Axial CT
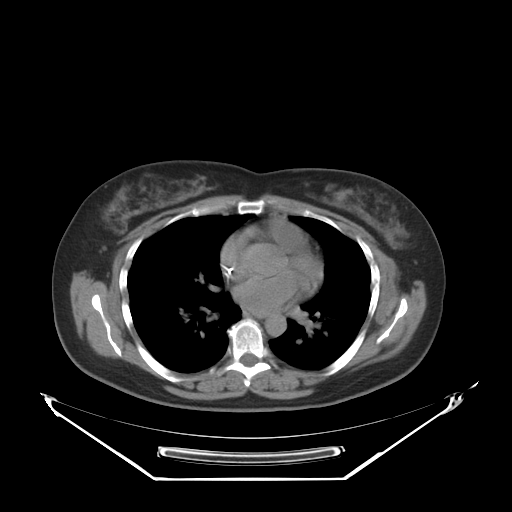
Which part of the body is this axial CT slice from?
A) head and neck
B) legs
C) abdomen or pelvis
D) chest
Answer: D) chest
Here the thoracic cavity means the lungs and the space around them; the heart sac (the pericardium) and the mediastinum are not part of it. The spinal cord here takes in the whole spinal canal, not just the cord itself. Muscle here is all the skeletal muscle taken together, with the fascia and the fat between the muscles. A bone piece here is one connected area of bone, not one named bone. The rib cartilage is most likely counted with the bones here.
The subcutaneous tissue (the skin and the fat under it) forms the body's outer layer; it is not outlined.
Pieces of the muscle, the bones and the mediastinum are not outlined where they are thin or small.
Outlined structures:
muscle: 266 193; 303 201; 357 223; 394 260; 403 291; 408 291; 416 279; 424 282; 427 301; 424 313; 410 341; 398 354; 332 378; 306 396; 272 399; 248 391; 237 397; 199 400; 167 391; 149 372; 120 359; 100 356; 77 338; 69 293; 73 271; 87 269; 96 280; 108 284; 118 249; 115 243; 142 222; 163 211; 207 197; 241 194; 247 199; 230 198; 177 213; 148 237; 136 238; 127 249; 124 261; 130 264; 120 267; 118 288; 122 293; 127 291; 128 301; 123 297; 120 309; 126 328; 130 332; 134 327; 142 342; 136 340; 134 343; 139 355; 153 371; 172 383; 189 379; 176 373; 189 374; 207 369; 208 374; 220 376; 233 370; 244 376; 242 382; 247 388; 255 375; 278 367; 275 357; 302 370; 324 368; 321 373; 324 377; 343 368; 360 348; 367 332; 361 327; 367 315; 370 318; 374 315; 378 304; 380 270; 372 250; 360 236; 351 238; 332 218; 309 208; 296 208; 295 214; 264 210; 267 204; 277 203; 275 199; 255 199; inner edges: 94 294; 98 294; 99 295; 102 311; 110 327; 110 335; 111 336; 111 338; 120 349; 121 351; 121 357; 120 357; 116 353; 113 347; 108 340; 106 328; 104 325; 104 323; 99 312; 92 306; 92 304; 91 303; 91 298, then 403 297; 405 298; 407 302; 407 310; 405 312; 405 313; 397 320; 394 326; 391 329; 389 334; 379 343; 376 343; 376 340; 377 338; 389 326; 389 325; 392 322; 394 318; 394 315; 399 306; 399 304; 400 303; 400 300; 401 298
thoracic cavity 1: 210 214; 252 214; 224 240; 219 250; 219 268; 223 289; 230 294; 232 300; 239 306; 241 318; 226 329; 229 343; 216 363; 195 372; 176 372; 162 364; 151 354; 144 346; 134 326; 127 287; 129 268; 137 249; 145 239; 180 219
thoracic cavity 2: 290 215; 319 220; 354 240; 360 247; 370 271; 367 313; 358 333; 338 357; 319 369; 292 366; 276 357; 268 346; 271 339; 278 338; 287 330; 287 321; 294 317; 294 311; 310 300; 320 290; 324 281; 322 246; 305 229; 289 220
mediastinum 1: 297 306; 299 307; 293 311; 292 314; 293 317; 289 317; 286 321; 287 322; 286 330; 278 337; 271 338; 267 342; 267 345; 264 341; 263 330; 260 324; 251 317; 242 317; 242 312; 240 308; 241 307; 252 312; 281 312; 290 310
mediastinum 2: 266 210; 281 212; 285 214; 291 214; 288 216; 286 214; 272 214; 271 213; 267 213; 263 217; 260 218; 258 220; 249 223; 246 225; 244 225; 241 228; 237 229; 247 220; 251 218; 253 216; 253 214; 257 215; 262 213
mediastinum 3: 312 236; 316 240; 317 240; 317 241; 319 243; 319 244; 321 246; 321 248; 322 249; 322 253; 323 254; 323 258; 323 256; 322 255; 322 253; 321 252; 321 251; 320 250; 320 247; 319 246; 319 245; 318 244; 318 243; 312 237
pericardium: 267 214; 286 215; 289 221; 305 230; 317 243; 323 259; 323 281; 318 291; 312 297; 303 301; 300 305; 281 311; 252 311; 240 306; 234 299; 232 294; 225 287; 220 268; 220 250; 223 243; 230 235; 244 226; 258 221
torso: 168 159; 222 161; 257 172; 290 167; 346 169; 379 178; 404 193; 430 223; 446 274; 440 324; 421 362; 397 381; 361 396; 322 407; 264 412; 162 405; 123 392; 80 370; 64 351; 53 320; 51 274; 58 243; 93 189; 128 168
spinal cord: 246 353; 248 353; 249 354; 252 354; 253 355; 254 355; 257 358; 257 359; 258 360; 253 365; 251 365; 250 366; 247 366; 246 365; 245 365; 243 363; 242 363; 240 361; 240 359; 241 358; 241 357; 244 354; 245 354
bones 1: 242 318; 251 318; 259 324; 262 330; 263 341; 277 363; 277 367; 272 366; 269 369; 255 374; 251 378; 249 386; 247 387; 243 382; 245 376; 239 371; 231 369; 220 375; 216 373; 208 373; 208 369; 221 359; 230 343; 227 329, around a hole outlined by 246 353; 248 353; 249 354; 252 354; 253 355; 254 355; 257 358; 257 359; 258 360; 253 365; 251 365; 250 366; 247 366; 246 365; 245 365; 243 363; 242 363; 240 361; 240 359; 241 358; 241 357; 244 354; 245 354
bones 2: 230 199; 236 202; 242 200; 259 199; 265 201; 275 200; 275 204; 267 203; 263 211; 260 213; 240 214; 236 212; 236 209; 233 206; 223 209; 216 213; 183 217; 163 227; 163 225; 170 218; 177 214; 187 211; 193 207; 213 204
bones 3: 356 236; 360 237; 368 245; 373 255; 374 261; 376 263; 379 270; 379 294; 375 310; 373 313; 373 315; 371 317; 367 314; 368 313; 368 308; 371 297; 371 271; 368 261; 366 259; 366 257; 361 247; 355 240
bones 4: 362 329; 365 329; 366 330; 365 336; 359 348; 352 357; 352 358; 343 367; 342 367; 335 373; 328 376; 324 376; 322 375; 322 373; 323 373; 325 370; 325 367; 329 365; 337 358; 338 358; 349 347; 349 346; 353 342; 359 332
bones 5: 136 341; 140 342; 140 343; 142 344; 142 345; 150 353; 150 354; 162 365; 168 369; 175 372; 178 376; 181 376; 188 379; 183 380; 179 382; 172 382; 162 377; 154 370; 153 370; 142 358; 136 347; 136 344; 135 343
bones 6: 94 294; 98 294; 99 295; 102 311; 110 327; 110 335; 111 336; 111 338; 120 349; 121 351; 121 357; 120 357; 116 353; 113 347; 108 340; 106 328; 104 325; 104 323; 99 312; 92 306; 92 304; 91 303; 91 298
bones 7: 403 297; 405 298; 407 302; 407 310; 405 312; 405 313; 397 320; 394 326; 391 329; 389 334; 379 343; 376 343; 376 340; 377 338; 389 326; 389 325; 392 322; 394 318; 394 315; 399 306; 399 304; 400 303; 400 300; 401 298
bones 8: 305 208; 309 209; 315 213; 317 213; 318 214; 326 216; 332 219; 342 229; 344 233; 341 232; 330 224; 324 221; 322 221; 319 219; 317 219; 313 217; 303 216; 302 215; 296 214; 294 212; 294 210; 296 209; 304 209
bones 9: 123 298; 124 298; 128 302; 128 304; 129 305; 129 309; 130 310; 130 313; 131 314; 131 317; 133 322; 133 326; 131 328; 130 331; 126 326; 126 324; 122 314; 122 310; 121 309; 121 302
bones 10: 124 265; 125 266; 126 266; 128 268; 128 272; 127 273; 127 284; 126 285; 126 287; 127 288; 127 290; 126 290; 125 291; 123 291; 122 292; 121 291; 120 291; 120 289; 119 288; 119 274; 120 273; 120 270; 121 269; 121 267
bones 11: 141 236; 143 237; 143 240; 140 243; 140 244; 136 249; 132 257; 132 259; 130 263; 128 262; 126 262; 125 261; 125 257; 126 256; 126 254; 127 253; 127 251; 128 249; 133 243; 133 242; 136 239; 137 239